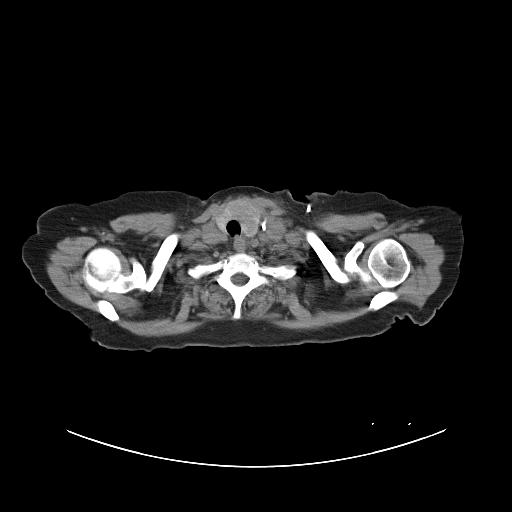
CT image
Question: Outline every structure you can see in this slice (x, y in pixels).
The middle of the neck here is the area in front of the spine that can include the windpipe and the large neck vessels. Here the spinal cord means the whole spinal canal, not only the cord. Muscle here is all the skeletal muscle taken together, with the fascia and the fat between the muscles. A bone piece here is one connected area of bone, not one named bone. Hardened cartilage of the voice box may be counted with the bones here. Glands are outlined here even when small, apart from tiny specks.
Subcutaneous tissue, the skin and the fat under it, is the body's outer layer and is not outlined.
Answer: The right arm is outlined by 68 202; 80 202; 84 204; 94 203; 108 217; 118 236; 120 243; 120 270; 112 289; 96 305; 75 316; 59 308; 45 295; 44 291; 33 280; 28 269; 23 263; 21 258; 22 243; 30 234; 36 230; 36 220; 38 216; 51 207. The muscle is outlined by 232 194; 261 194; 305 218; 376 211; 390 219; 422 219; 445 250; 441 283; 420 309; 395 301; 399 294; 394 289; 412 264; 398 240; 380 239; 365 269; 357 263; 365 247; 361 240; 340 264; 316 232; 306 229; 306 241; 334 281; 346 285; 355 276; 381 289; 370 298; 369 312; 303 330; 240 319; 252 290; 292 278; 297 266; 261 263; 244 251; 282 236; 287 227; 281 221; 254 207; 228 208; 207 220; 200 235; 212 246; 235 252; 196 263; 186 273; 196 280; 210 276; 228 292; 234 320; 211 320; 175 335; 136 335; 115 322; 120 316; 108 299; 93 303; 98 313; 56 289; 45 269; 51 246; 124 214; 189 216 with a hole at 173 232; 179 235; 177 244; 151 291; 133 289; 125 293; 99 292; 85 283; 82 273; 84 260; 87 253; 93 248; 103 246; 112 250; 119 258; 121 272; 125 276; 132 272; 130 258; 133 256; 148 275; 151 270; 151 262; 162 242. The spinal cord is outlined by 237 273; 242 273; 243 274; 244 274; 248 278; 248 279; 247 280; 247 281; 244 284; 243 284; 242 285; 237 285; 236 284; 235 284; 231 280; 231 277; 232 276; 233 276; 235 274; 236 274. The torso is outlined by 234 185; 286 188; 296 200; 313 191; 373 190; 406 204; 382 218; 359 250; 365 279; 404 319; 371 337; 278 347; 186 346; 148 352; 108 349; 91 341; 75 317; 113 289; 121 270; 119 236; 93 202; 131 190; 162 189; 204 199. The middle of the neck is outlined by 235 215; 241 222; 242 233; 246 238; 252 238; 257 233; 262 217; 276 219; 286 227; 286 230; 282 235; 266 237; 257 247; 239 252; 224 249; 204 241; 201 235; 202 229; 207 221; 215 217; 214 221; 217 228; 226 235; 226 225. The left arm is outlined by 425 204; 444 204; 457 208; 461 211; 464 247; 459 265; 459 278; 451 295; 427 323; 418 325; 414 324; 409 318; 404 316; 387 303; 370 285; 364 275; 363 266; 360 259; 360 250; 363 242; 370 232; 382 219; 405 205; 419 206. The bones appear in 4 outlined pieces: piece 1: 306 230; 315 232; 340 265; 347 252; 361 241; 364 247; 356 263; 365 270; 370 251; 380 240; 398 241; 411 263; 406 278; 393 289; 398 297; 369 311; 371 298; 382 289; 375 281; 364 283; 355 275; 346 284; 334 280; 307 241; piece 2: 173 232; 179 235; 177 244; 151 291; 133 289; 125 293; 99 292; 85 283; 82 273; 84 260; 87 253; 93 248; 103 246; 112 250; 119 258; 121 272; 125 276; 132 272; 130 258; 133 256; 148 275; 151 270; 151 262; 162 242; piece 3: 240 252; 253 256; 261 264; 265 265; 293 264; 296 266; 296 273; 285 280; 276 280; 269 286; 259 285; 252 289; 242 300; 240 318; 233 319; 234 300; 230 293; 212 281; 210 275; 196 279; 187 273; 187 269; 196 264; 214 263; inner edge: 237 273; 242 273; 243 274; 244 274; 248 278; 248 279; 247 280; 247 281; 244 284; 243 284; 242 285; 237 285; 236 284; 235 284; 231 280; 231 277; 232 276; 233 276; 235 274; 236 274; piece 4: 100 299; 104 299; 105 300; 108 300; 114 306; 114 308; 119 316; 119 319; 117 321; 115 321; 114 322; 113 321; 111 321; 110 320; 109 320; 103 315; 102 315; 97 310; 97 308; 94 305; 94 303; 97 300; 99 300. The thyroid glands are outlined by 253 208; 259 210; 261 214; 261 217; 259 220; 257 231; 252 237; 246 237; 243 233; 242 222; 237 214; 235 214; 227 221; 225 225; 226 234; 222 230; 218 228; 215 221; 215 218; 216 216; 223 213; 226 210; 228 209; 239 213.